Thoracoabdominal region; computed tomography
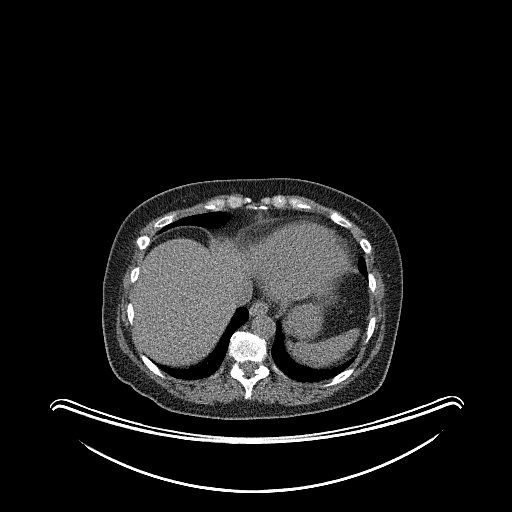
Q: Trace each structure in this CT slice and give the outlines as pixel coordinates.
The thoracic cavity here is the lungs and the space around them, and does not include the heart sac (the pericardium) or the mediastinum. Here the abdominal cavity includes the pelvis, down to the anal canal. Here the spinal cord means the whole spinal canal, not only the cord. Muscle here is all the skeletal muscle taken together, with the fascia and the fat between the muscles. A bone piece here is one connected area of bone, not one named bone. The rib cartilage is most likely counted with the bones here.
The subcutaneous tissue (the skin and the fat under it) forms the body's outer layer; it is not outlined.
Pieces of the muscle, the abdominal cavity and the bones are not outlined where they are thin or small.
A: The muscle appears in 6 outlined pieces: piece 1: (135, 240) (138, 249) (144, 251) (139, 265) (130, 270) (129, 279) (135, 285) (133, 299) (126, 304) (126, 316) (129, 324) (133, 325) (135, 335) (143, 352) (139, 355) (142, 362) (162, 379) (166, 377) (165, 373) (176, 379) (190, 381) (209, 376) (216, 378) (225, 368) (224, 360) (226, 356) (231, 362) (228, 370) (229, 375) (237, 380) (244, 389) (243, 400) (200, 404) (176, 397) (150, 378) (121, 350) (116, 337) (117, 306) (121, 300) (122, 280); piece 2: (372, 246) (382, 274) (383, 298) (386, 308) (383, 340) (378, 352) (368, 366) (353, 381) (320, 401) (286, 406) (250, 400) (255, 384) (267, 377) (271, 371) (283, 378) (287, 376) (299, 382) (314, 383) (329, 380) (321, 385) (323, 388) (336, 385) (353, 373) (355, 369) (350, 366) (362, 344) (366, 344) (371, 338) (376, 325) (376, 317) (370, 316) (370, 293) (375, 291) (377, 281) (374, 274) (368, 271) (364, 255) (364, 253) (366, 255) (371, 253); piece 3: (231, 193) (239, 193) (245, 196) (240, 196) (239, 195) (230, 194) (226, 197) (212, 198) (208, 200) (202, 206) (202, 207) (205, 210) (208, 211) (206, 211) (205, 212) (200, 212) (195, 214) (191, 214) (190, 215) (183, 216) (177, 219) (176, 219) (176, 216) (177, 215) (174, 211) (171, 211) (169, 213) (166, 213) (176, 209) (180, 209) (184, 207) (191, 206) (194, 204) (202, 202) (206, 199) (213, 197) (216, 195) (220, 195) (221, 194) (230, 194); piece 4: (284, 195) (299, 195) (300, 196) (303, 196) (309, 198) (322, 205) (324, 205) (327, 207) (336, 210) (330, 211) (328, 213) (328, 215) (326, 216) (315, 211) (310, 211) (312, 208) (312, 206) (309, 203) (302, 200) (300, 198) (298, 198) (295, 196) (289, 196) (288, 197); piece 5: (162, 215) (163, 215) (161, 216) (158, 219) (157, 219) (153, 223) (152, 225) (152, 226) (155, 229) (156, 229) (157, 231) (154, 234) (151, 240) (150, 237) (147, 234) (142, 234) (138, 236) (139, 231) (144, 226) (145, 226) (151, 220) (159, 216) (161, 216); piece 6: (349, 220) (350, 220) (352, 222) (353, 222) (357, 226) (358, 226) (363, 231) (364, 231) (364, 232) (365, 233) (365, 235) (367, 238) (366, 238) (365, 237) (361, 237) (358, 240) (358, 242) (352, 235) (352, 234) (349, 229) (350, 229) (353, 226) (352, 223). The bones appear in 12 outlined pieces: piece 1: (237, 330) (247, 331) (262, 338) (266, 342) (266, 348) (269, 353) (269, 357) (286, 376) (283, 377) (271, 370) (267, 376) (259, 379) (254, 384) (251, 391) (250, 399) (244, 398) (245, 389) (243, 385) (229, 373) (232, 362) (227, 356) (228, 346) (232, 334); inner edge: (246, 361) (251, 361) (252, 362) (253, 362) (256, 364) (256, 367) (254, 369) (254, 370) (253, 371) (253, 373) (251, 375) (246, 375) (245, 374) (245, 373) (244, 372) (244, 371) (241, 368) (241, 367) (240, 366) (240, 364) (241, 363) (242, 363) (243, 362) (245, 362); piece 2: (278, 194) (288, 198) (295, 197) (300, 199) (311, 206) (309, 210) (290, 207) (276, 208) (273, 206) (267, 209) (248, 209) (243, 206) (236, 208) (226, 207) (224, 210) (212, 211) (203, 207) (212, 199) (226, 198) (230, 195) (240, 197) (248, 196) (258, 204) (261, 198); piece 3: (351, 367) (354, 369) (352, 373) (348, 377) (347, 377) (342, 381) (336, 384) (331, 385) (330, 386) (327, 386) (326, 387) (323, 387) (322, 386) (322, 385) (323, 385) (325, 383) (327, 383) (333, 377) (334, 377) (342, 371) (345, 370) (347, 368) (350, 368); piece 4: (332, 211) (336, 211) (337, 212) (338, 212) (343, 217) (344, 217) (346, 219) (347, 219) (351, 223) (352, 226) (350, 228) (346, 228) (343, 226) (341, 226) (340, 225) (339, 225) (338, 224) (335, 223) (332, 220) (331, 220) (328, 217) (328, 216) (329, 215) (329, 213); piece 5: (171, 212) (174, 212) (175, 213) (175, 214) (176, 215) (175, 216) (175, 220) (174, 220) (172, 222) (171, 222) (170, 223) (163, 226) (159, 229) (157, 229) (153, 226) (154, 223) (157, 220) (158, 220) (164, 215) (165, 215) (166, 214) (169, 214); piece 6: (141, 354) (144, 354) (148, 358) (149, 358) (149, 359) (151, 360) (159, 368) (159, 369) (164, 374) (165, 377) (164, 378) (162, 378) (160, 376) (155, 374) (150, 369) (149, 369) (148, 367) (143, 362) (143, 361) (141, 359) (140, 357) (140, 355); piece 7: (371, 316) (374, 316) (375, 317) (375, 325) (374, 326) (374, 329) (373, 330) (373, 332) (370, 338) (368, 340) (368, 341) (366, 343) (365, 343) (364, 342) (364, 340) (366, 337) (366, 330) (367, 329) (367, 326) (368, 325) (368, 323) (369, 322) (369, 320); piece 8: (142, 235) (147, 235) (150, 239) (150, 242) (149, 243) (149, 244) (147, 246) (147, 247) (143, 250) (141, 250) (140, 249) (139, 249) (139, 248) (137, 245) (137, 243) (136, 242) (136, 240) (137, 239) (137, 238) (139, 236) (141, 236); piece 9: (361, 238) (365, 238) (366, 239) (367, 239) (369, 241) (369, 242) (370, 243) (370, 244) (371, 245) (371, 251) (370, 252) (370, 253) (369, 253) (368, 254) (366, 254) (363, 251) (363, 250) (361, 248) (361, 247) (360, 246) (360, 245) (359, 244) (359, 240); piece 10: (368, 272) (370, 272) (371, 273) (372, 273) (373, 274) (373, 275) (374, 276) (374, 277) (375, 278) (375, 280) (376, 281) (376, 286) (375, 287) (375, 289) (374, 290) (374, 291) (373, 292) (370, 292) (370, 290) (369, 289) (369, 288) (368, 287); piece 11: (129, 302) (130, 302) (132, 304) (132, 305) (133, 306) (133, 310) (134, 311) (134, 316) (133, 317) (133, 324) (130, 324) (130, 323) (129, 322) (129, 320) (128, 319) (128, 317) (127, 316) (127, 304); piece 12: (223, 362) (224, 363) (224, 368) (223, 369) (223, 370) (216, 377) (211, 377) (211, 375) (212, 374) (213, 374) (216, 371) (217, 371) (219, 369) (219, 368) (220, 367) (220, 366) (221, 365) (221, 364). The torso is outlined by (237, 178) (298, 178) (321, 183) (365, 202) (391, 227) (401, 255) (403, 297) (389, 367) (382, 384) (371, 395) (341, 407) (305, 415) (265, 419) (216, 419) (167, 410) (122, 382) (112, 371) (102, 332) (102, 284) (110, 248) (122, 221) (140, 203) (170, 188) (205, 180). The spinal cord is outlined by (246, 361) (251, 361) (252, 362) (253, 362) (256, 364) (256, 367) (254, 369) (254, 370) (253, 371) (253, 373) (251, 375) (246, 375) (245, 374) (245, 373) (244, 372) (244, 371) (241, 368) (241, 367) (240, 366) (240, 364) (241, 363) (242, 363) (243, 362) (245, 362). The mediastinum appears in 2 outlined pieces: piece 1: (256, 288) (264, 297) (266, 297) (273, 304) (274, 310) (273, 314) (275, 316) (275, 319) (277, 320) (275, 324) (274, 339) (269, 351) (267, 348) (267, 342) (262, 337) (247, 330) (238, 330) (238, 328) (248, 318) (248, 310) (246, 305) (251, 301) (254, 296) (254, 292); piece 2: (270, 207) (276, 209) (304, 210) (327, 217) (335, 224) (349, 230) (364, 256) (358, 258) (356, 265) (356, 252) (350, 238) (341, 228) (321, 216) (294, 215) (272, 217) (256, 215) (235, 231) (229, 232) (223, 226) (230, 217) (225, 210) (237, 208) (267, 210). The thoracic cavity appears in 4 outlined pieces: piece 1: (242, 307) (245, 307) (247, 310) (247, 318) (231, 334) (227, 346) (226, 355) (219, 367) (213, 373) (206, 377) (197, 379) (190, 380) (181, 379) (173, 377) (162, 371) (157, 365) (157, 364) (177, 369) (187, 369) (203, 362) (216, 348) (216, 346) (228, 327) (236, 310); piece 2: (277, 322) (280, 323) (280, 328) (283, 335) (283, 346) (286, 353) (294, 362) (301, 366) (315, 370) (331, 369) (343, 364) (355, 356) (355, 358) (349, 367) (347, 367) (329, 379) (324, 379) (314, 382) (299, 381) (293, 379) (286, 375) (270, 357) (269, 352) (275, 339); piece 3: (209, 211) (212, 212) (223, 211) (228, 214) (229, 217) (227, 221) (223, 225) (219, 227) (207, 228) (206, 227) (201, 227) (200, 226) (195, 226) (194, 225) (180, 225) (168, 229) (163, 232) (159, 232) (160, 229) (178, 219) (191, 215) (195, 215) (200, 213) (205, 213); piece 4: (361, 257) (364, 257) (364, 258) (365, 259) (365, 261) (366, 262) (366, 267) (367, 268) (367, 277) (366, 278) (360, 272) (360, 271) (358, 269) (358, 266) (357, 265) (358, 264) (358, 260) (359, 259) (359, 258) (360, 258). The abdominal cavity appears in 2 outlined pieces: piece 1: (180, 226) (207, 229) (222, 226) (229, 233) (237, 230) (237, 241) (254, 264) (257, 283) (250, 301) (245, 306) (238, 307) (235, 310) (213, 351) (203, 361) (187, 368) (156, 364) (144, 353) (134, 327) (135, 311) (132, 303) (144, 250) (158, 230) (159, 233) (163, 233); piece 2: (354, 264) (357, 266) (359, 272) (367, 278) (370, 301) (369, 319) (365, 330) (365, 337) (357, 354) (331, 368) (315, 369) (297, 363) (285, 349) (281, 323) (276, 319) (274, 304) (272, 303) (288, 299) (304, 299) (318, 286) (330, 281) (335, 282) (339, 280) (348, 273). The pericardium is outlined by (294, 216) (321, 217) (341, 229) (352, 243) (355, 252) (354, 263) (347, 273) (339, 279) (335, 281) (330, 280) (318, 285) (304, 298) (288, 298) (272, 302) (264, 296) (258, 288) (255, 264) (250, 255) (240, 245) (237, 233) (238, 230) (244, 226) (270, 221) (272, 218).